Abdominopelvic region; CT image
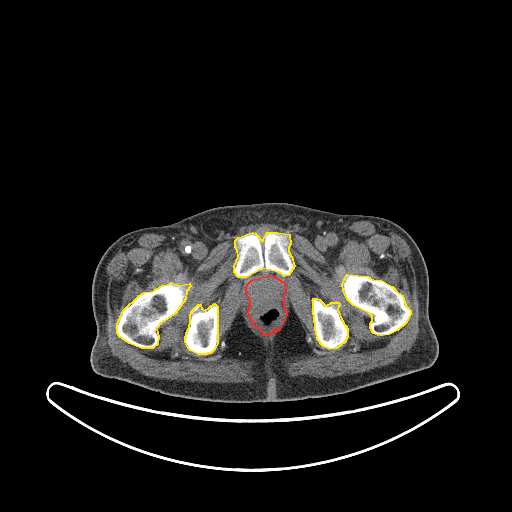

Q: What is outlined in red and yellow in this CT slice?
A: red: abdominal cavity; yellow: bones.
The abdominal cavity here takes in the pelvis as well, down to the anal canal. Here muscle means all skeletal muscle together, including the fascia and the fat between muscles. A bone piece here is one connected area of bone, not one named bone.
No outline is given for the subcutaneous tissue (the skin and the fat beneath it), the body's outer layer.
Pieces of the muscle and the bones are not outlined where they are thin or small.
The abdominal cavity is outlined by 268 275; 274 276; 284 283; 285 291; 283 295; 283 307; 286 312; 286 315; 279 329; 275 332; 274 329; 269 335; 264 335; 261 330; 253 325; 254 323; 249 317; 248 308; 250 305; 250 301; 246 292; 246 288; 247 284; 251 280. The bones appear in 5 outlined pieces: piece 1: 171 282; 178 285; 189 283; 190 286; 186 291; 185 299; 175 313; 160 323; 157 327; 156 329; 158 336; 157 344; 152 348; 141 348; 129 343; 119 336; 117 333; 117 324; 123 310; 139 295; 144 292; 152 291; 162 285; 168 284; piece 2: 347 274; 367 276; 372 279; 381 280; 392 286; 396 291; 402 295; 405 305; 410 310; 410 314; 405 323; 397 330; 389 334; 377 335; 373 333; 370 328; 370 323; 372 320; 372 316; 369 313; 353 305; 348 300; 343 291; 342 283; piece 3: 252 232; 255 233; 262 241; 267 232; 277 232; 289 234; 290 244; 288 247; 288 251; 291 256; 294 266; 288 275; 284 276; 279 272; 262 268; 246 277; 238 277; 234 272; 234 266; 238 256; 237 250; 235 247; 235 240; 238 237; piece 4: 214 303; 217 306; 217 343; 214 349; 210 353; 207 353; 206 354; 198 354; 190 350; 188 348; 185 342; 185 336; 186 335; 186 332; 189 327; 189 324; 190 323; 190 314; 191 313; 191 311; 198 304; 200 304; 201 308; 205 310; piece 5: 313 298; 317 298; 319 299; 325 305; 327 305; 331 302; 338 302; 339 303; 337 309; 342 321; 347 328; 347 337; 344 342; 336 348; 329 349; 323 346; 317 339; 316 331; 315 330; 314 315; 313 314; 313 301; 312 300. The muscle is outlined by 361 220; 399 234; 413 259; 419 332; 410 350; 395 362; 334 377; 290 376; 286 362; 309 354; 312 342; 291 308; 272 345; 264 345; 241 313; 226 332; 225 342; 220 342; 222 349; 226 345; 226 357; 249 364; 252 382; 161 379; 144 375; 111 354; 106 343; 106 267; 125 244; 140 235; 165 235; 180 259; 193 265; 243 227; 266 223; 289 229; 322 254; 335 256; 348 237; 348 226 with holes at 171 282; 178 285; 189 283; 190 286; 186 291; 185 299; 175 313; 160 323; 157 327; 156 329; 158 336; 157 344; 152 348; 141 348; 129 343; 119 336; 117 333; 117 324; 123 310; 139 295; 144 292; 152 291; 162 285; 168 284 and at 347 274; 367 276; 372 279; 381 280; 392 286; 396 291; 402 295; 405 305; 410 310; 410 314; 405 323; 397 330; 389 334; 377 335; 373 333; 370 328; 370 323; 372 320; 372 316; 369 313; 353 305; 348 300; 343 291; 342 283 and at 252 232; 255 233; 262 241; 267 232; 277 232; 289 234; 290 244; 288 247; 288 251; 291 256; 294 266; 288 275; 284 276; 279 272; 262 268; 246 277; 238 277; 234 272; 234 266; 238 256; 237 250; 235 247; 235 240; 238 237 and at 268 275; 274 276; 284 283; 285 291; 283 295; 283 307; 286 312; 286 315; 279 329; 275 332; 274 329; 269 335; 264 335; 261 330; 253 325; 254 323; 249 317; 248 308; 250 305; 250 301; 246 292; 246 288; 247 284; 251 280 and at 214 303; 217 306; 217 343; 214 349; 210 353; 207 353; 206 354; 198 354; 190 350; 188 348; 185 342; 185 336; 186 335; 186 332; 189 327; 189 324; 190 323; 190 314; 191 313; 191 311; 198 304; 200 304; 201 308; 205 310 and at 313 298; 317 298; 319 299; 325 305; 327 305; 331 302; 338 302; 339 303; 337 309; 342 321; 347 328; 347 337; 344 342; 336 348; 329 349; 323 346; 317 339; 316 331; 315 330; 314 315; 313 314; 313 301; 312 300. The torso is outlined by 264 202; 285 202; 339 214; 378 216; 402 227; 417 244; 427 267; 428 314; 439 345; 435 362; 428 368; 342 394; 251 403; 176 397; 95 373; 90 363; 97 330; 91 286; 96 266; 105 250; 120 236; 133 230; 168 225; 219 206.